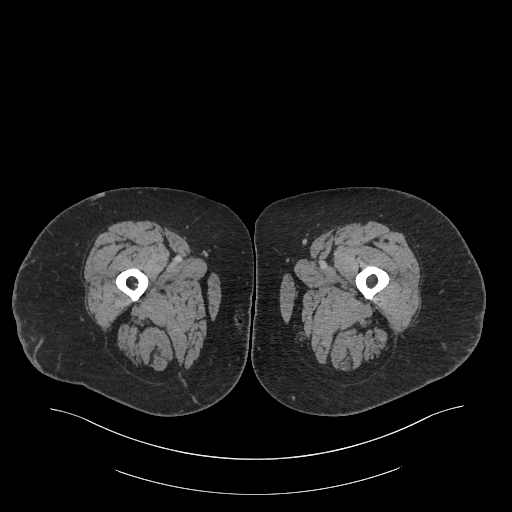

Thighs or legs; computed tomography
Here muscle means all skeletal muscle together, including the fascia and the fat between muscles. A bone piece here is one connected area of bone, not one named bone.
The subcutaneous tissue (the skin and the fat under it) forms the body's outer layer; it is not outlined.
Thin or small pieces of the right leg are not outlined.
{"bones":[[[366,265],[375,265],[386,271],[389,275],[389,282],[387,284],[387,285],[380,291],[374,294],[372,298],[370,300],[369,299],[366,299],[364,297],[364,296],[356,287],[356,285],[355,284],[355,277],[356,275],[358,273],[358,272],[364,266]],[[131,267],[136,267],[138,268],[142,272],[143,272],[147,276],[148,278],[148,285],[147,286],[147,288],[136,301],[131,301],[130,298],[125,293],[124,293],[121,290],[120,290],[117,287],[115,283],[115,278],[116,276],[123,270],[125,270]]],"left_leg":[[[349,186],[377,186],[404,191],[424,199],[445,214],[462,235],[479,266],[486,289],[486,308],[477,345],[469,357],[450,374],[359,413],[314,415],[292,409],[276,400],[261,385],[252,366],[250,345],[256,287],[254,225],[262,210],[278,199],[304,192]]],"right_leg":[[[134,186],[181,189],[221,202],[241,219],[252,242],[255,287],[251,296],[250,314],[253,316],[244,368],[234,387],[223,398],[185,415],[149,414],[82,385],[53,379],[32,365],[17,335],[11,307],[13,284],[22,260],[40,231],[62,210],[86,197]]],"muscle":[{"outer":[[369,219],[378,220],[393,225],[405,233],[408,238],[409,237],[412,247],[422,270],[422,307],[419,320],[401,337],[393,353],[392,352],[370,376],[351,385],[310,377],[290,354],[280,336],[279,282],[285,264],[290,252],[309,230],[321,225],[329,225]],"hole":[[366,265],[375,265],[386,271],[389,275],[389,282],[387,284],[387,285],[380,291],[374,294],[372,298],[370,300],[369,299],[366,299],[364,297],[364,296],[356,287],[356,285],[355,284],[355,277],[356,275],[358,273],[358,272],[364,266]]},{"outer":[[127,219],[153,220],[175,230],[200,255],[220,279],[221,293],[223,300],[207,345],[185,373],[166,383],[133,378],[105,349],[100,329],[90,319],[84,308],[83,302],[84,289],[82,285],[80,270],[90,246],[90,243],[93,237],[113,221],[120,221]],"hole":[[131,267],[136,267],[138,268],[142,272],[143,272],[147,276],[148,278],[148,285],[147,286],[147,288],[136,301],[131,301],[130,298],[125,293],[124,293],[121,290],[120,290],[117,287],[115,283],[115,278],[116,276],[123,270],[125,270]]}]}